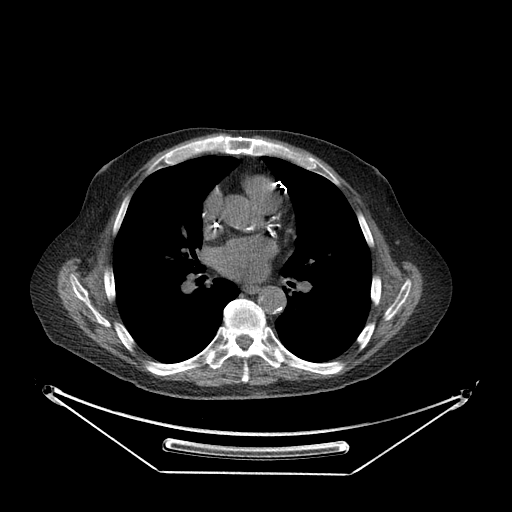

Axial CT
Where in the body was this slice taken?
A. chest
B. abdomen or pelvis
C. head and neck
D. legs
A. chest
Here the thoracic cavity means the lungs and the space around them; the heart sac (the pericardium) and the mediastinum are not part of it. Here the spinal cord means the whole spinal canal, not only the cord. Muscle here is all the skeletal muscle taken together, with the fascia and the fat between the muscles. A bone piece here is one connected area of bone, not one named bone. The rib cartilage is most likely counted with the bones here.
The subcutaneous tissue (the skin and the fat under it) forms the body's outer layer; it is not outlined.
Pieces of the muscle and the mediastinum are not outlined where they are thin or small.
spinal cord: (241, 335) (247, 335) (250, 338) (251, 338) (251, 339) (252, 340) (252, 341) (251, 342) (251, 343) (246, 348) (242, 348) (237, 343) (237, 342) (236, 341) (236, 340) (237, 339) (237, 338) (239, 336) (240, 336)
bones 1: (236, 298) (257, 304) (294, 355) (316, 363) (338, 360) (344, 367) (332, 374) (285, 363) (274, 368) (253, 355) (247, 359) (246, 383) (241, 380) (243, 360) (235, 355) (217, 368) (204, 364) (167, 375) (146, 370) (147, 360) (176, 363) (200, 352) (223, 323) (224, 307); inner edge: (241, 335) (247, 335) (250, 338) (251, 338) (251, 339) (252, 340) (252, 341) (251, 342) (251, 343) (246, 348) (242, 348) (237, 343) (237, 342) (236, 341) (236, 340) (237, 339) (237, 338) (239, 336) (240, 336)
bones 2: (220, 134) (260, 138) (282, 144) (304, 155) (311, 156) (329, 170) (339, 181) (340, 185) (337, 186) (324, 176) (281, 157) (270, 155) (224, 154) (218, 152) (202, 153) (178, 163) (162, 167) (146, 175) (145, 173) (147, 169) (160, 156) (171, 149) (191, 141) (216, 136)
bones 3: (70, 274) (73, 274) (87, 290) (88, 297) (91, 304) (104, 318) (112, 325) (115, 321) (121, 322) (123, 324) (136, 343) (133, 352) (128, 350) (122, 343) (114, 327) (112, 325) (107, 327) (99, 323) (96, 320) (94, 314) (86, 304) (77, 297) (70, 282)
bones 4: (407, 278) (408, 278) (411, 281) (411, 286) (410, 287) (408, 295) (406, 297) (404, 302) (400, 306) (398, 311) (390, 319) (388, 320) (385, 320) (383, 318) (383, 316) (384, 315) (385, 311) (394, 301) (400, 290) (400, 288) (402, 286) (402, 285)
bones 5: (108, 267) (111, 267) (113, 270) (113, 277) (114, 278) (114, 285) (115, 286) (115, 300) (114, 300) (112, 302) (110, 302) (108, 300) (108, 298) (106, 295) (106, 292) (105, 291) (105, 286) (104, 285) (104, 279) (103, 278) (103, 276) (104, 275) (104, 271) (105, 269)
bones 6: (372, 321) (374, 321) (375, 322) (375, 327) (373, 330) (373, 332) (368, 342) (366, 344) (366, 345) (361, 350) (359, 351) (358, 350) (358, 347) (359, 345) (356, 342) (355, 342) (355, 341) (357, 337) (365, 326) (365, 325) (367, 323) (369, 322) (371, 322)
bones 7: (128, 194) (129, 194) (131, 196) (129, 203) (127, 206) (127, 208) (126, 209) (125, 214) (123, 217) (123, 219) (121, 222) (120, 227) (116, 235) (115, 236) (113, 236) (112, 234) (112, 231) (113, 230) (113, 225) (114, 224) (117, 213) (120, 208) (120, 206) (123, 199)
bones 8: (373, 274) (376, 274) (377, 275) (378, 275) (380, 277) (380, 278) (381, 279) (381, 293) (380, 294) (380, 298) (379, 299) (379, 302) (377, 305) (374, 305) (372, 303) (372, 301) (371, 300) (371, 298) (370, 297) (370, 289) (371, 288) (371, 282) (372, 281) (372, 275)
bones 9: (357, 211) (360, 211) (363, 214) (365, 218) (365, 220) (371, 232) (371, 234) (373, 238) (373, 242) (374, 243) (373, 247) (371, 248) (368, 246) (366, 242) (366, 240) (364, 237) (364, 235) (362, 232) (362, 230) (360, 227) (360, 225) (356, 215) (356, 212)
torso: (198, 126) (299, 132) (339, 145) (375, 166) (390, 183) (407, 219) (435, 246) (451, 272) (451, 301) (429, 338) (377, 374) (339, 389) (297, 396) (215, 400) (186, 399) (144, 390) (53, 343) (32, 308) (29, 281) (45, 248) (79, 213) (94, 174) (105, 163) (139, 141)
thoracic cavity 1: (203, 154) (232, 156) (238, 161) (203, 200) (202, 243) (199, 251) (200, 259) (209, 275) (212, 278) (224, 278) (233, 282) (238, 294) (223, 307) (222, 323) (200, 351) (180, 361) (161, 362) (154, 360) (137, 344) (122, 322) (116, 302) (114, 242) (131, 198) (147, 176)
thoracic cavity 2: (262, 156) (287, 160) (335, 185) (355, 213) (369, 248) (372, 274) (369, 289) (371, 304) (366, 323) (354, 342) (335, 359) (316, 362) (299, 357) (281, 342) (272, 327) (287, 305) (287, 296) (283, 290) (284, 280) (280, 271) (294, 252) (297, 225) (286, 188) (276, 179)
mediastinum 1: (206, 265) (214, 269) (218, 274) (239, 283) (261, 282) (272, 276) (281, 267) (279, 274) (283, 280) (282, 290) (286, 296) (286, 305) (275, 320) (273, 326) (268, 324) (263, 309) (257, 303) (245, 297) (237, 297) (239, 289) (233, 281) (224, 277) (212, 277) (208, 272)
mediastinum 2: (214, 153) (218, 153) (219, 154) (223, 154) (224, 155) (247, 155) (261, 156) (262, 160) (273, 175) (267, 171) (264, 171) (257, 167) (249, 166) (243, 169) (237, 170) (230, 175) (222, 179) (238, 165) (239, 161) (237, 158) (236, 158) (232, 155) (223, 155) (222, 154) (216, 154)
muscle 1: (212, 133) (225, 133) (228, 134) (220, 133) (216, 135) (191, 140) (160, 155) (146, 169) (144, 173) (146, 176) (132, 195) (128, 193) (120, 203) (111, 231) (115, 237) (112, 267) (104, 269) (102, 278) (107, 300) (110, 303) (115, 301) (121, 321) (115, 320) (112, 324) (104, 317) (92, 304) (88, 290) (73, 273) (69, 274) (74, 294) (90, 310) (95, 320) (107, 328) (112, 326) (121, 343) (131, 353) (135, 351) (137, 345) (151, 357) (152, 359) (143, 362) (143, 367) (154, 375) (167, 376) (204, 365) (217, 369) (230, 357) (240, 358) (242, 360) (240, 380) (244, 383) (200, 386) (193, 382) (156, 378) (99, 346) (68, 315) (57, 291) (57, 275) (62, 264) (72, 257) (92, 264) (102, 232) (120, 200) (120, 191) (138, 169) (166, 148)
muscle 2: (254, 135) (278, 139) (305, 149) (331, 166) (359, 194) (382, 232) (391, 258) (398, 265) (402, 261) (413, 263) (422, 275) (423, 284) (420, 299) (405, 324) (368, 359) (340, 375) (301, 381) (283, 380) (266, 385) (250, 385) (247, 383) (250, 377) (248, 359) (253, 356) (262, 358) (274, 369) (279, 368) (281, 364) (285, 364) (292, 368) (321, 375) (338, 373) (345, 367) (346, 363) (336, 359) (354, 343) (358, 345) (357, 350) (359, 352) (369, 342) (376, 322) (374, 320) (367, 322) (367, 318) (371, 305) (377, 306) (379, 304) (382, 293) (382, 279) (378, 274) (372, 273) (370, 248) (375, 245) (372, 232) (364, 214) (360, 210) (354, 211) (338, 187) (341, 185) (340, 181) (313, 156) (279, 142) (254, 137) (252, 136) with a hole at (407, 278) (408, 278) (411, 281) (411, 286) (410, 287) (408, 295) (406, 297) (404, 302) (400, 306) (398, 311) (390, 319) (388, 320) (385, 320) (383, 318) (383, 316) (384, 315) (385, 311) (394, 301) (400, 290) (400, 288) (402, 286) (402, 285)
pericardium: (249, 167) (267, 172) (279, 181) (285, 188) (291, 212) (293, 214) (295, 237) (291, 253) (286, 258) (285, 262) (272, 275) (261, 281) (239, 282) (218, 273) (214, 268) (203, 262) (201, 258) (201, 246) (203, 243) (202, 212) (204, 200) (222, 180) (237, 171)